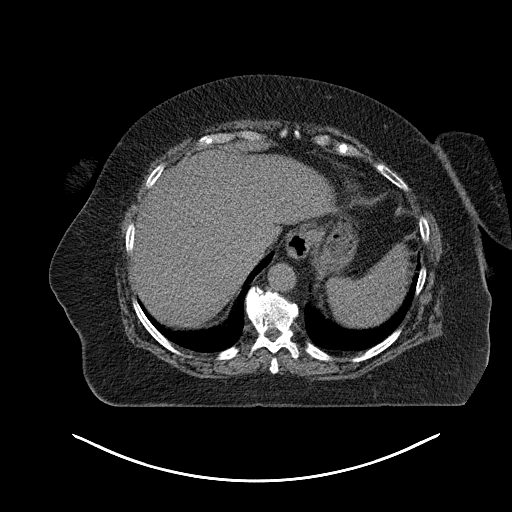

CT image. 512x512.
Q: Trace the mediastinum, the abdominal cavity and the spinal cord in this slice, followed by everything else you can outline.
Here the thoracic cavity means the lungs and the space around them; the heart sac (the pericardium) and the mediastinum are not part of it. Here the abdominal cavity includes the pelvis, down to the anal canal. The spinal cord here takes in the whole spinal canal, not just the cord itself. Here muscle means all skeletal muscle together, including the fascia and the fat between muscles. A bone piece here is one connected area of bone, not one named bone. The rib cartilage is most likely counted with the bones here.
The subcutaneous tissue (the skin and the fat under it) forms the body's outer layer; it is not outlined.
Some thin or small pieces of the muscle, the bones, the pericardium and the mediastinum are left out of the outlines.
A: The mediastinum appears in 3 outlined pieces: piece 1: 278,252 281,252 290,260 295,261 302,268 306,270 309,274 310,282 309,284 309,301 304,305 301,311 296,302 287,299 281,294 265,293 264,290 259,286 251,285 252,281 257,274 272,260 273,257; piece 2: 330,153 335,153 340,156 355,157 361,159 373,168 380,175 387,179 398,188 383,189 379,194 369,195 375,189 373,181 366,177 359,171 356,171 354,169 352,169 351,167 349,167 345,163 336,159; piece 3: 400,190 401,190 403,192 403,193 404,194 404,195 405,196 405,198 407,200 407,201 409,203 409,205 411,207 411,208 413,210 413,212 408,207 406,207 403,204 403,198 402,197 402,194 401,193 401,191. The abdominal cavity is outlined by 288,135 308,139 351,168 368,196 400,191 421,239 420,261 401,305 376,327 344,328 310,301 308,271 281,251 271,251 249,273 222,323 187,331 166,328 138,300 132,271 135,224 150,189 165,168 204,146. The spinal cord is outlined by 270,328 275,328 276,329 277,329 280,332 280,334 274,340 271,340 268,337 267,337 265,335 265,332 268,329 269,329. The muscle appears in 2 outlined pieces: piece 1: 247,118 260,120 280,119 335,127 357,138 398,172 403,179 381,162 375,162 372,167 358,157 362,153 351,143 333,140 327,133 316,134 310,140 303,138 297,128 292,131 292,135 289,134 286,127 283,127 278,132 278,135 269,137 252,129 206,133 197,139 198,146 196,149 182,155 167,167 164,161 158,163 145,180 144,186 149,191 137,214 137,219 135,223 132,220 128,222 124,234 125,251 131,255 131,271 136,294 136,297 131,298 131,305 137,318 147,332 168,351 183,356 184,354 175,345 194,352 217,353 215,359 219,361 229,360 239,353 240,348 236,344 242,336 246,324 250,322 255,337 246,355 249,358 260,348 267,349 272,355 268,367 270,373 225,378 202,378 179,370 149,351 134,346 128,340 120,318 114,270 115,264 120,257 120,223 124,211 143,176 150,164 158,156 188,136 193,137 207,127; piece 2: 406,182 425,201 441,232 443,252 436,275 444,287 443,334 353,379 321,380 277,373 275,355 281,348 293,359 300,355 293,339 296,321 307,338 303,350 325,362 334,359 331,354 358,352 349,359 352,363 368,360 399,337 403,330 399,326 426,281 427,268 421,265 421,250 422,242 427,244 430,240 427,218 421,214 418,219 406,198. The bones appear in 12 outlined pieces: piece 1: 251,286 259,287 265,294 279,294 299,308 296,325 292,327 292,339 298,346 299,355 293,358 285,347 281,347 274,355 278,365 274,374 269,370 273,355 267,348 260,347 251,356 247,355 256,337 244,309; inner edge: 270,328 275,328 276,329 277,329 280,332 280,334 274,340 271,340 268,337 267,337 265,335 265,332 268,329 269,329; piece 2: 241,130 252,130 262,134 265,136 265,138 260,141 248,141 244,139 235,138 230,141 227,141 223,143 219,143 218,144 213,143 208,145 203,145 197,149 199,146 198,139 203,135 214,134 219,132 236,132; piece 3: 133,297 137,298 137,300 143,312 150,322 155,327 155,328 178,350 179,350 183,354 183,355 178,355 168,350 165,347 160,344 148,332 148,331 142,324 141,321 138,318 133,308 133,306 132,305 132,298; piece 4: 320,134 327,134 329,135 333,141 346,142 349,144 351,144 359,150 361,154 357,157 355,156 348,156 347,155 340,155 338,154 333,148 333,145 332,144 322,147 314,143 312,140 312,138 314,136 319,135; piece 5: 401,326 402,326 402,330 398,337 384,350 383,350 378,354 368,359 366,359 359,362 352,362 350,360 351,358 355,356 358,356 360,355 366,350 378,344 380,342 384,340 389,335 390,335 398,327 400,327; piece 6: 375,163 381,163 387,166 392,171 393,171 398,176 399,176 405,182 405,183 408,187 408,190 407,191 403,191 401,189 397,187 393,183 392,183 387,178 386,178 384,176 380,174 374,168 374,164; piece 7: 305,340 308,340 311,343 312,343 315,346 316,346 321,350 323,351 325,351 327,353 330,354 333,357 333,359 330,361 325,361 324,360 320,360 319,359 317,359 316,358 314,358 312,357 304,350 304,341; piece 8: 130,221 132,221 134,223 134,226 135,227 135,229 134,230 134,241 133,242 133,248 132,249 132,251 131,252 131,254 129,254 126,251 126,248 125,247 125,234 126,233 126,229 127,228 127,226; piece 9: 161,162 164,162 165,163 165,167 164,169 162,171 159,177 155,181 153,185 150,188 147,188 145,186 145,183 146,182 146,180 149,174 152,171 152,170 158,164 159,164; piece 10: 421,215 423,215 426,218 426,219 427,220 427,222 428,223 428,225 429,226 429,240 427,243 424,243 422,241 422,239 421,238 421,236 420,235 420,228 419,227 419,222 418,221 418,220 419,219 419,217; piece 11: 233,345 235,345 239,348 239,351 238,352 238,353 235,356 234,356 229,359 221,359 220,360 219,360 218,359 216,359 216,356 219,352 220,352 221,351 223,351 224,350 229,348; piece 12: 421,266 424,266 426,268 426,277 425,278 425,281 424,282 424,284 423,285 420,292 418,294 418,295 415,296 415,290 416,289 416,284 417,283 417,281 418,280 418,277 419,276 419,271 421,268. The pericardium is outlined by 356,172 359,172 361,174 362,174 366,178 367,178 368,179 369,179 372,181 372,183 373,184 373,186 374,187 374,189 372,191 372,192 371,193 370,193 368,195 361,188 361,187 357,182 357,180 356,179. The thoracic cavity appears in 2 outlined pieces: piece 1: 418,260 420,262 420,268 415,284 414,296 403,319 399,325 384,339 363,352 358,351 351,353 329,353 311,342 296,320 305,305 310,302 326,319 330,320 344,329 367,330 376,328 389,320 402,305 410,289; piece 2: 271,252 273,253 271,260 253,278 244,298 243,309 249,321 245,324 237,342 218,352 194,351 172,343 151,322 139,302 139,300 141,302 147,312 159,324 174,332 205,330 218,326 228,318 244,282 250,273. The torso appears in 2 outlined pieces: piece 1: 252,73 308,77 357,90 395,110 431,141 446,130 482,137 504,194 511,249 482,232 496,273 495,282 488,282 490,347 463,404 130,407 107,404 88,387 80,339 48,279 62,236 100,166 136,120 182,91; piece 2: 89,152 95,152 98,153 99,155 99,163 98,166 93,173 92,177 88,181 86,185 74,195 70,197 62,197 62,196 58,193 59,192 58,191 59,190 58,183 61,178 62,174 73,162 81,156.